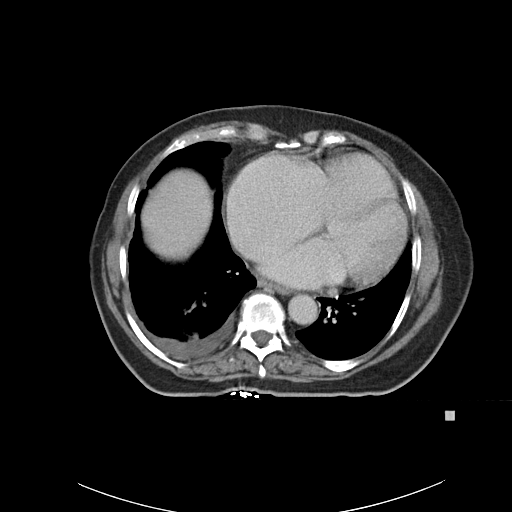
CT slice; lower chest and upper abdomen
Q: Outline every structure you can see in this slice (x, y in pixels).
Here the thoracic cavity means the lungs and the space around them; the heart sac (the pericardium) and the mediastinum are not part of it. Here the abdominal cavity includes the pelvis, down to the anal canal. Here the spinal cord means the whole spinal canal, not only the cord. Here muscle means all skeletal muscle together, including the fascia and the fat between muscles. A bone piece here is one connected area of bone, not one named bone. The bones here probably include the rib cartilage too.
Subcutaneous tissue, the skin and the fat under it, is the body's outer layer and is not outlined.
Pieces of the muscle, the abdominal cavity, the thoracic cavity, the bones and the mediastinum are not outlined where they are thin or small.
A: Outlined structures:
thoracic cavity 1: 202 141; 218 141; 226 143; 229 147; 228 152; 221 158; 220 213; 232 251; 242 260; 256 283; 243 295; 240 301; 239 319; 233 335; 206 355; 180 361; 173 359; 158 348; 136 321; 127 278; 127 257; 136 202; 150 174; 170 154, around a hole outlined by 179 166; 186 166; 197 170; 198 172; 205 177; 208 183; 215 189; 215 192; 213 197; 213 213; 211 223; 203 243; 186 262; 171 264; 165 263; 159 260; 145 246; 142 239; 140 213; 144 201; 147 196; 148 190; 164 174; 173 168
thoracic cavity 2: 410 240; 411 272; 403 299; 388 331; 370 349; 354 357; 344 359; 327 359; 316 356; 298 340; 289 336; 288 332; 290 334; 294 334; 296 331; 307 328; 318 318; 321 307; 318 300; 319 297; 348 294; 377 284; 394 267; 406 244
torso: 253 104; 284 104; 335 112; 393 133; 429 162; 458 202; 474 257; 469 293; 433 357; 391 391; 357 398; 276 398; 244 390; 215 398; 170 397; 144 385; 122 362; 109 340; 91 288; 88 252; 113 177; 136 148; 168 125; 209 109
pericardium: 350 146; 373 154; 401 186; 410 214; 410 233; 409 241; 405 244; 396 263; 377 283; 338 294; 304 293; 265 281; 234 251; 230 243; 222 215; 222 194; 226 178; 234 171; 243 156; 256 149; 276 148; 299 151; 304 148; 325 149
abdominal cavity: 179 166; 186 166; 197 170; 198 172; 205 177; 208 183; 215 189; 215 192; 213 197; 213 213; 211 223; 203 243; 186 262; 171 264; 165 263; 159 260; 145 246; 142 239; 140 213; 144 201; 147 196; 148 190; 164 174; 173 168
spinal cord: 259 330; 263 330; 264 331; 265 331; 266 332; 269 333; 271 335; 271 337; 268 340; 267 343; 265 345; 263 345; 262 346; 259 346; 257 344; 256 341; 253 338; 253 337; 252 336; 252 333; 253 333; 256 331; 258 331
mediastinum 1: 244 262; 259 278; 275 287; 311 295; 333 295; 319 296; 317 300; 320 307; 317 318; 307 327; 296 330; 294 333; 290 333; 285 325; 286 315; 284 308; 274 296; 264 292; 254 292; 243 298; 257 283; 255 277; 246 268
mediastinum 2: 228 138; 240 141; 245 140; 257 141; 261 144; 271 143; 273 144; 274 148; 256 148; 243 155; 235 164; 233 171; 225 178; 225 181; 223 182; 222 193; 222 186; 220 182; 222 172; 222 158; 229 152; 230 147; 226 142; 219 141
bones 1: 254 293; 270 295; 281 304; 285 315; 284 325; 291 342; 290 346; 282 344; 283 351; 270 352; 263 358; 261 362; 265 369; 263 378; 258 374; 259 361; 252 352; 245 348; 240 348; 238 342; 232 346; 229 345; 240 319; 241 301; inner edge: 259 330; 263 330; 264 331; 265 331; 266 332; 269 333; 271 335; 271 337; 268 340; 267 343; 265 345; 263 345; 262 346; 259 346; 257 344; 256 341; 253 338; 253 337; 252 336; 252 333; 253 333; 256 331; 258 331
bones 2: 228 125; 231 125; 236 128; 237 130; 237 136; 228 137; 221 140; 202 140; 201 141; 198 141; 192 143; 183 148; 178 149; 170 153; 162 159; 161 158; 161 155; 163 153; 164 150; 177 138; 179 138; 189 133; 219 128
bones 3: 125 309; 126 309; 134 318; 135 321; 145 336; 158 349; 162 351; 168 357; 171 358; 173 360; 186 363; 186 366; 182 367; 181 368; 178 368; 174 365; 160 358; 154 354; 150 350; 149 350; 137 337; 134 331; 130 326; 125 315
bones 4: 310 130; 317 130; 320 134; 326 133; 327 132; 333 132; 335 134; 337 133; 340 133; 344 135; 346 137; 346 140; 345 142; 342 144; 333 143; 324 147; 318 147; 318 144; 317 143; 316 144; 307 144; 303 142; 303 136; 306 132
bones 5: 355 357; 361 358; 363 359; 363 360; 359 364; 354 366; 352 368; 345 370; 344 371; 341 371; 340 372; 337 372; 325 367; 322 364; 322 361; 321 360; 321 359; 326 359; 327 360; 344 360; 345 359; 349 359; 350 358; 354 358
bones 6: 407 292; 410 292; 411 293; 411 296; 410 297; 409 304; 406 310; 406 312; 400 324; 398 326; 395 332; 387 340; 385 340; 385 336; 386 334; 389 331; 392 325; 392 323; 404 299; 405 294
bones 7: 250 123; 254 123; 255 124; 258 124; 260 126; 261 126; 266 131; 266 132; 267 133; 267 140; 268 141; 268 143; 261 143; 259 141; 258 141; 257 140; 251 140; 250 139; 249 139; 245 135; 245 130; 246 129; 248 124; 249 124
bones 8: 401 176; 404 177; 409 181; 414 194; 414 197; 416 201; 416 213; 413 215; 410 213; 410 210; 408 207; 408 205; 406 202; 406 200; 404 196; 404 193; 403 192; 402 186; 401 185; 401 182; 400 181; 400 177
bones 9: 416 234; 418 234; 419 235; 419 236; 420 237; 420 239; 421 240; 421 260; 420 261; 420 265; 419 266; 419 269; 418 270; 418 271; 416 273; 415 273; 412 271; 412 267; 411 266; 411 262; 412 261; 412 240; 413 239; 414 236
bones 10: 135 183; 137 183; 139 185; 140 187; 140 191; 137 196; 137 198; 135 202; 135 206; 134 207; 134 211; 133 212; 133 214; 131 216; 129 216; 127 213; 127 202; 128 201; 128 197; 131 191; 131 189
bones 11: 121 245; 123 245; 126 248; 126 249; 127 250; 127 256; 126 257; 127 258; 127 265; 126 266; 126 280; 123 280; 122 279; 122 276; 121 275; 121 273; 120 272; 120 268; 119 267; 119 248; 120 247; 120 246
bones 12: 292 139; 295 139; 296 140; 298 140; 301 142; 301 146; 300 146; 299 147; 297 147; 296 148; 277 148; 274 146; 274 143; 276 141; 277 141; 278 140; 282 140; 283 141; 286 141; 287 142; 288 142; 290 140; 291 140
muscle 1: 410 181; 416 186; 428 207; 443 265; 442 298; 438 310; 393 355; 348 377; 308 382; 265 378; 266 369; 262 363; 264 358; 276 351; 283 352; 283 344; 290 347; 290 338; 320 358; 325 368; 340 373; 359 365; 364 360; 359 356; 384 337; 387 341; 396 332; 410 304; 412 293; 406 291; 411 273; 416 274; 419 271; 422 260; 421 237; 416 233; 412 239; 411 215; 417 213; 417 201
muscle 2: 166 146; 145 185; 141 188; 135 182; 127 197; 126 213; 129 217; 133 215; 133 224; 127 249; 123 244; 118 248; 118 267; 121 279; 127 279; 135 319; 126 308; 125 318; 149 351; 178 369; 187 366; 186 362; 181 361; 206 356; 231 338; 230 347; 238 343; 240 349; 256 357; 259 377; 243 376; 222 381; 179 377; 146 357; 106 304; 101 277; 102 243; 112 224; 117 203; 128 182
muscle 3: 316 129; 335 129; 341 131; 348 131; 374 143; 385 150; 393 158; 397 167; 408 179; 401 175; 399 177; 400 183; 386 165; 373 153; 357 145; 344 144; 347 140; 347 137; 344 134; 340 132; 335 133; 333 131; 327 131; 320 133
muscle 4: 226 120; 238 120; 239 121; 248 121; 249 122; 253 122; 248 123; 244 130; 244 135; 248 139; 240 140; 239 139; 232 138; 238 136; 238 130; 235 126; 231 124; 228 124; 219 127; 215 127; 214 128; 209 128; 204 130; 199 130; 198 131; 189 132; 179 137; 175 138; 171 142; 171 141; 178 135; 196 126; 199 125; 206 125; 210 123; 218 122; 219 121; 225 121
muscle 5: 259 124; 283 132; 288 136; 294 136; 299 132; 305 132; 302 136; 302 142; 307 145; 310 145; 301 148; 300 147; 302 146; 302 142; 295 138; 292 138; 288 141; 278 139; 273 143; 269 142; 267 131